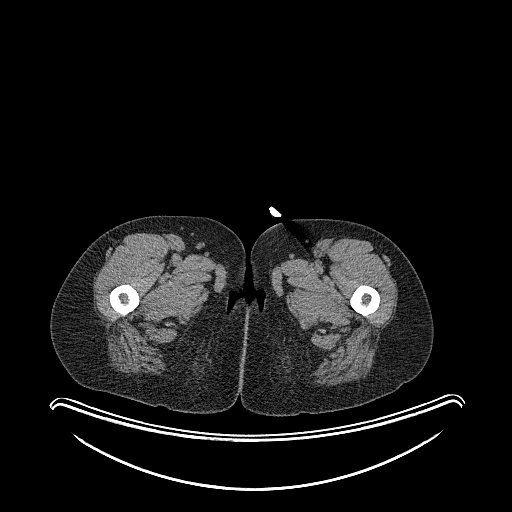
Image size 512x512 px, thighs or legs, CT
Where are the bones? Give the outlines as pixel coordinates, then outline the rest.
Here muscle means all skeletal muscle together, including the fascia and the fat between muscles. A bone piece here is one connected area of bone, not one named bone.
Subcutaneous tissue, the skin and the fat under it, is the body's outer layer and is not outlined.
The bones appear in 2 outlined pieces: piece 1: 362 284; 369 285; 375 288; 378 291; 379 293; 379 296; 380 297; 380 301; 379 302; 379 305; 377 309; 374 312; 369 314; 366 317; 365 316; 363 316; 361 314; 355 311; 350 305; 350 297; 352 295; 354 290; 359 285; 361 285; piece 2: 121 284; 128 284; 130 286; 131 286; 138 293; 138 297; 139 298; 138 299; 139 300; 138 301; 138 304; 137 306; 131 312; 125 315; 115 310; 112 307; 110 303; 110 294; 111 292; 115 288; 116 288. The muscle appears in 2 outlined pieces: piece 1: 150 229; 174 231; 190 241; 202 244; 225 260; 227 265; 222 297; 211 307; 203 309; 187 327; 179 340; 176 350; 178 370; 177 376; 173 379; 137 379; 109 369; 102 352; 102 341; 105 328; 93 307; 94 275; 107 249; 126 234 with a hole at 121 284; 128 284; 130 286; 131 286; 138 293; 138 297; 139 298; 138 299; 139 300; 138 301; 138 304; 137 306; 131 312; 125 315; 115 310; 112 307; 110 303; 110 294; 111 292; 115 288; 116 288; piece 2: 331 237; 367 240; 377 247; 395 265; 398 294; 393 318; 381 331; 374 357; 375 362; 369 375; 365 379; 334 388; 315 385; 309 381; 310 374; 320 362; 320 358; 300 337; 271 285; 273 262; 288 256; 301 255; 311 250; 320 239, around a hole outlined by 362 284; 369 285; 375 288; 378 291; 379 293; 379 296; 380 297; 380 301; 379 302; 379 305; 377 309; 374 312; 369 314; 366 317; 365 316; 363 316; 361 314; 355 311; 350 305; 350 297; 352 295; 354 290; 359 285; 361 285. The right leg is outlined by 155 214; 212 218; 230 228; 243 244; 246 259; 244 295; 247 301; 247 315; 242 386; 240 399; 237 398; 225 411; 210 414; 175 411; 87 388; 69 375; 52 345; 49 328; 52 305; 64 279; 81 254; 96 238; 113 226; 136 217; inner edge: 231 294; 234 294; 235 295; 238 295; 234 299; 234 300; 232 302; 232 303; 230 305; 230 306; 230 296; 231 295. The left leg is outlined by 292 218; 362 223; 384 233; 405 253; 424 286; 434 329; 429 358; 416 377; 389 394; 336 411; 266 416; 242 406; 248 302; 256 297; 261 307; 265 295; 262 289; 256 291; 252 286; 251 248; 259 235; 274 224; 282 222; 293 229.